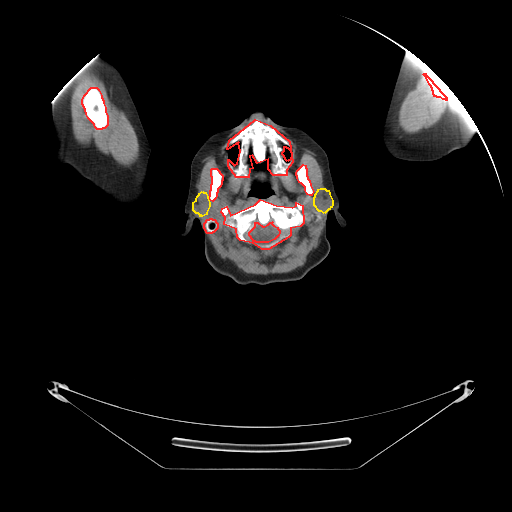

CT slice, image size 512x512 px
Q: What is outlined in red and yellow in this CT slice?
A: red: bones; yellow: parotid glands.
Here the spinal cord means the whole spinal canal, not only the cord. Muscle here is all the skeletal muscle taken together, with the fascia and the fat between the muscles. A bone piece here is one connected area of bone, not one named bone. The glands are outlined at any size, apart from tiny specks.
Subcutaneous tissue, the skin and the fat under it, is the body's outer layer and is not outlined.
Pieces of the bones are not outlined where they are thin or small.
Outlines (x, y in pixels):
bones 1: 255,119 270,125 289,141 292,162 286,170 286,175 273,175 268,169 268,159 257,163 252,155 249,156 252,168 249,169 248,177 236,177 228,166 228,159 234,165 237,163 240,151 238,142 227,149 229,140, around a hole outlined by 284,146 285,146 286,147 287,147 290,150 290,151 291,152 291,157 290,158 290,159 289,160 288,160 287,161 285,159 285,158 284,157 284,156 282,154 282,152 284,150
bones 2: 260,199 276,205 292,207 296,205 296,202 302,205 303,223 300,226 290,228 290,235 288,237 268,249 262,249 253,243 240,240 237,237 236,229 224,224 225,217 221,212 222,208 226,206 230,215 255,204 with a hole at 255,222 257,222 262,226 264,226 268,224 270,222 272,222 271,223 273,225 277,227 277,228 279,230 279,233 278,235 274,239 268,242 256,242 255,241 253,241 253,240 249,235 249,232 255,226
bones 3: 91,87 96,87 98,89 101,95 101,97 103,100 103,103 105,107 105,111 107,116 107,125 104,128 102,128 101,129 97,129 95,127 94,124 88,118 86,114 85,109 82,104 82,100 84,95
bones 4: 212,168 216,168 222,175 222,180 221,181 221,184 220,186 217,189 217,192 216,193 216,196 215,198 212,201 210,200 209,198 209,196 210,195 210,190 211,189 211,184 212,183 212,177 211,176 211,169
bones 5: 303,164 305,165 305,167 306,168 306,175 307,176 307,178 309,180 310,185 313,191 311,195 309,195 307,194 305,190 305,187 301,183 299,182 297,178 297,176 296,175 296,172 297,170
bones 6: 425,73 425,74 432,81 432,82 446,97 446,100 445,99 443,99 440,97 437,97 436,96 434,96 434,95 433,94 433,91 432,90 432,88 431,87 431,86 429,84 426,77 423,74 424,74
bones 7: 210,218 211,218 212,219 214,219 215,220 215,221 217,223 217,228 213,232 212,232 211,233 207,233 206,232 206,231 205,230 205,229 204,228 204,223 206,221 206,220 207,219 209,219
parotid glands 1: 320,188 324,188 326,190 328,190 329,192 329,194 332,200 332,205 331,207 330,207 329,209 328,209 324,213 321,211 319,211 314,205 314,197 315,196 315,194 318,190 318,189
parotid glands 2: 202,191 203,192 205,192 207,196 207,198 209,202 209,206 206,212 206,214 202,216 201,215 200,216 200,215 198,213 196,213 193,210 193,202 196,200 196,198 197,196 199,194 199,193
right arm: 102,57 112,63 123,76 151,146 148,164 147,193 138,204 132,207 121,207 112,203 107,196 91,182 80,175 70,165 60,164 56,161 54,156 56,149 56,137 52,122 51,107 73,83 90,68 93,67
muscle 1: 252,120 227,142 226,164 236,178 248,178 250,169 268,170 275,177 288,174 287,170 293,162 291,143 263,120 284,130 316,154 327,189 318,188 313,197 313,205 324,214 319,245 302,266 289,272 265,275 245,273 222,260 208,237 218,228 218,223 211,217 204,222 202,218 207,214 210,202 205,191 197,195 196,183 202,166 201,160 229,134 with holes at 254,182 269,184 273,193 264,199 269,203 292,207 298,202 302,205 303,223 290,228 288,237 268,249 262,249 253,243 240,240 236,229 224,224 225,217 221,212 226,206 230,215 258,202 259,197 249,195 and at 212,168 216,168 222,175 222,180 221,181 221,184 220,186 217,189 217,192 216,193 216,196 215,198 212,201 210,200 209,198 209,196 210,195 210,190 211,189 211,184 212,183 212,177 211,176 211,169 and at 303,164 305,165 305,167 306,168 306,175 307,176 307,178 309,180 310,185 313,191 311,195 309,195 307,194 305,190 305,187 301,183 299,182 297,178 297,176 296,175 296,172 297,170
muscle 2: 97,63 99,63 100,65 99,71 106,83 111,84 113,87 113,100 127,114 138,139 140,155 138,160 129,167 118,164 110,155 103,154 93,144 83,146 77,143 73,137 69,102 67,98 62,97 73,83 with a hole at 91,87 96,87 98,89 101,95 101,97 103,100 103,103 105,107 105,111 107,116 107,125 104,128 102,128 101,129 97,129 95,127 94,124 88,118 86,114 85,109 82,104 82,100 84,95
muscle 3: 423,75 425,77 428,84 431,88 433,96 437,98 440,98 446,101 445,102 445,107 444,108 444,110 445,111 435,124 433,124 411,132 402,131 398,123 399,110 400,109 402,101 406,96 417,86 419,81
spinal cord: 255,222 257,222 262,226 264,226 268,224 270,222 272,222 271,223 273,225 277,227 277,228 279,230 279,233 278,235 274,239 268,242 256,242 255,241 253,241 253,240 249,235 249,232 255,226
head and neck: 255,107 278,124 305,131 324,149 339,211 346,221 346,226 341,227 334,213 331,210 327,213 330,251 296,281 238,284 208,263 204,232 197,219 189,233 181,235 187,218 184,205 193,156 210,135 237,125 with holes at 254,182 257,182 261,184 263,184 264,183 267,183 269,184 271,189 273,191 273,193 271,195 269,195 265,198 260,198 259,197 257,197 253,195 249,195 249,192 252,187 252,184 253,184 and at 236,143 238,143 239,144 239,151 237,153 237,157 236,158 237,159 237,161 236,163 234,164 232,163 228,158 228,153 227,152 227,150 228,148 230,147 230,146 and at 250,156 252,156 252,157 253,158 253,159 257,164 262,164 263,163 264,163 267,160 268,160 268,162 267,163 267,170 263,170 262,169 259,169 258,170 256,170 255,169 254,169 252,167 252,165 250,163 and at 284,146 285,146 286,147 287,147 290,150 290,151 291,152 291,157 290,158 290,159 289,160 288,160 287,161 285,159 285,158 284,157 284,156 282,154 282,152 284,150
left arm: 404,57 409,59 411,62 425,73 446,97 450,106 461,116 466,124 474,132 471,141 465,147 456,149 446,156 439,159 432,161 421,161 420,162 406,161 396,158 386,150 382,141 382,128 394,84 401,62